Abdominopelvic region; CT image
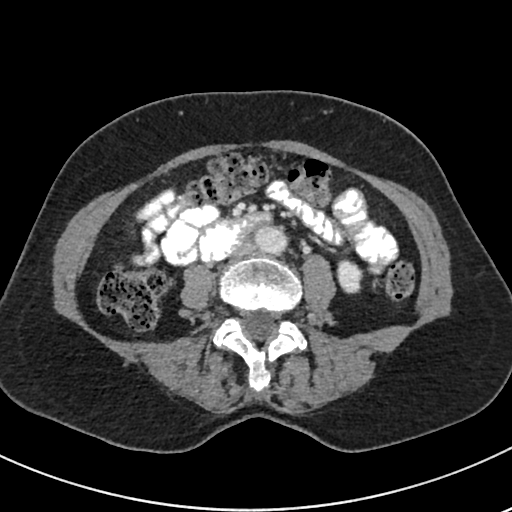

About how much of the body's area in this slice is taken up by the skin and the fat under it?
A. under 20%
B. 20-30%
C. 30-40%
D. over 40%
D. over 40%
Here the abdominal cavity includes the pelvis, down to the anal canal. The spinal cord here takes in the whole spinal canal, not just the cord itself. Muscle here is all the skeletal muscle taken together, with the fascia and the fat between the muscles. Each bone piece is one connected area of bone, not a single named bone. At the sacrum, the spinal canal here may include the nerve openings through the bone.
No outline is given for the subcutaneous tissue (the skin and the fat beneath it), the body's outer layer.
The torso is outlined by (261, 89) (315, 91) (369, 106) (403, 124) (428, 147) (511, 290) (511, 374) (499, 394) (465, 420) (400, 443) (353, 453) (332, 449) (261, 417) (233, 425) (185, 452) (131, 450) (14, 403) (0, 390) (0, 295) (48, 189) (69, 155) (102, 125) (142, 104) (189, 92). The abdominal cavity is outlined by (254, 147) (341, 168) (397, 208) (419, 253) (417, 319) (328, 331) (337, 287) (323, 255) (306, 256) (300, 278) (276, 258) (251, 255) (226, 264) (218, 282) (207, 265) (183, 270) (177, 313) (188, 327) (177, 335) (94, 331) (77, 281) (120, 204) (190, 161). The muscle is outlined by (280, 139) (299, 141) (311, 145) (334, 157) (340, 159) (348, 165) (355, 167) (364, 172) (375, 175) (378, 177) (392, 180) (403, 186) (405, 186) (424, 199) (434, 211) (441, 226) (442, 233) (449, 247) (451, 257) (450, 258) (451, 277) (454, 289) (454, 293) (452, 297) (452, 310) (447, 316) (437, 318) (413, 331) (393, 351) (383, 358) (383, 362) (380, 368) (376, 374) (367, 383) (358, 390) (353, 392) (350, 396) (339, 404) (329, 409) (326, 409) (317, 413) (312, 413) (310, 415) (306, 416) (298, 416) (279, 412) (264, 404) (254, 403) (248, 406) (244, 406) (223, 416) (218, 416) (217, 417) (216, 416) (196, 415) (186, 410) (160, 391) (135, 363) (126, 363) (122, 357) (104, 346) (87, 331) (84, 330) (80, 326) (66, 317) (57, 313) (53, 309) (51, 301) (52, 287) (51, 286) (51, 276) (50, 274) (52, 267) (51, 257) (53, 253) (54, 244) (65, 228) (66, 224) (70, 218) (89, 201) (106, 191) (122, 187) (130, 182) (136, 180) (138, 178) (151, 172) (159, 165) (185, 151) (201, 146) (216, 144) (217, 143) (244, 143) (245, 142) (259, 142) (260, 141) (279, 140); inner edge: (254, 147) (316, 158) (369, 183) (403, 216) (421, 265) (415, 321) (343, 335) (324, 328) (337, 324) (328, 308) (337, 289) (330, 262) (319, 253) (306, 256) (300, 277) (301, 300) (287, 317) (307, 346) (266, 361) (271, 377) (261, 391) (250, 388) (243, 358) (212, 340) (234, 310) (220, 298) (219, 283) (207, 265) (193, 263) (183, 270) (177, 313) (188, 327) (166, 338) (114, 339) (94, 331) (79, 308) (76, 291) (100, 232) (130, 194) (190, 161). The bones are outlined by (251, 256) (276, 259) (298, 273) (302, 296) (287, 317) (307, 341) (303, 350) (296, 348) (265, 362) (271, 377) (268, 387) (261, 391) (250, 388) (249, 368) (243, 358) (224, 346) (216, 346) (212, 340) (221, 323) (234, 314) (233, 308) (219, 296) (219, 277) (226, 265); inner edge: (259, 309) (264, 309) (269, 312) (274, 312) (276, 314) (275, 315) (275, 319) (278, 322) (278, 326) (275, 333) (274, 332) (272, 333) (263, 341) (255, 341) (254, 340) (252, 340) (244, 330) (244, 326) (242, 324) (242, 321) (246, 315) (246, 312) (247, 311) (255, 311). The spinal cord is outlined by (259, 309) (264, 309) (269, 312) (274, 312) (276, 314) (275, 315) (275, 319) (278, 322) (278, 326) (275, 333) (274, 332) (272, 333) (263, 341) (255, 341) (254, 340) (252, 340) (244, 330) (244, 326) (242, 324) (242, 321) (246, 315) (246, 312) (247, 311) (255, 311).